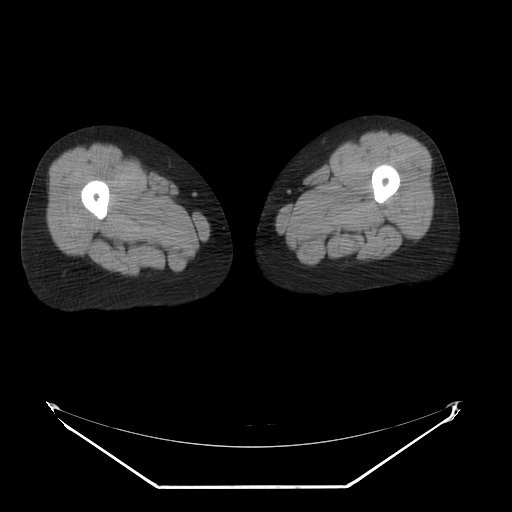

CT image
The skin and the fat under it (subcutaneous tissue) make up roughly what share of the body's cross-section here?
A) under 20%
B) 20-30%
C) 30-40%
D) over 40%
D) over 40%
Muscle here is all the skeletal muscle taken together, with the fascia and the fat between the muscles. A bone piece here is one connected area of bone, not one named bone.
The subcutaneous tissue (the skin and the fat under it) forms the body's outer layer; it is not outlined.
Outlines (x, y in pixels):
muscle 1: (86, 141) (112, 142) (132, 151) (154, 168) (173, 179) (205, 214) (211, 228) (210, 236) (202, 257) (190, 271) (178, 279) (165, 282) (126, 280) (93, 263) (89, 263) (87, 260) (75, 260) (68, 257) (56, 247) (48, 231) (45, 218) (46, 173) (52, 160) (60, 152), around a hole outlined by (92, 180) (101, 180) (105, 182) (107, 184) (109, 189) (109, 193) (110, 194) (109, 195) (109, 201) (108, 202) (107, 213) (102, 219) (99, 219) (97, 218) (91, 212) (90, 212) (84, 206) (81, 200) (81, 195) (80, 194) (81, 193) (81, 189) (89, 181) (91, 181)
muscle 2: (372, 129) (407, 132) (426, 144) (430, 149) (435, 160) (435, 170) (432, 183) (434, 193) (433, 217) (429, 229) (420, 242) (388, 259) (344, 270) (310, 272) (298, 268) (290, 261) (275, 236) (274, 222) (278, 210) (290, 197) (300, 181) (308, 173) (320, 167) (342, 142) with a hole at (381, 164) (388, 164) (389, 165) (391, 165) (396, 169) (396, 170) (399, 174) (400, 184) (397, 190) (391, 196) (390, 196) (387, 199) (386, 199) (382, 203) (379, 203) (374, 199) (374, 196) (373, 195) (373, 189) (371, 185) (371, 175) (372, 174) (373, 170) (377, 166)
bones 1: (381, 164) (388, 164) (389, 165) (391, 165) (396, 169) (396, 170) (399, 174) (400, 184) (397, 190) (391, 196) (390, 196) (387, 199) (386, 199) (382, 203) (379, 203) (374, 199) (374, 196) (373, 195) (373, 189) (371, 185) (371, 175) (372, 174) (373, 170) (377, 166)
bones 2: (92, 180) (101, 180) (105, 182) (107, 184) (109, 189) (109, 193) (110, 194) (109, 195) (109, 201) (108, 202) (107, 213) (102, 219) (99, 219) (97, 218) (91, 212) (90, 212) (84, 206) (81, 200) (81, 195) (80, 194) (81, 193) (81, 189) (89, 181) (91, 181)
right leg: (92, 124) (125, 125) (159, 139) (186, 159) (208, 183) (223, 209) (233, 242) (233, 261) (230, 271) (215, 292) (202, 299) (166, 309) (148, 307) (118, 312) (86, 310) (72, 313) (51, 309) (31, 293) (20, 259) (20, 230) (34, 171) (45, 150) (55, 140) (72, 130)
left leg: (365, 114) (392, 115) (412, 122) (423, 129) (439, 148) (454, 190) (459, 214) (460, 247) (455, 265) (443, 277) (429, 283) (403, 289) (372, 289) (314, 297) (290, 293) (271, 285) (256, 266) (253, 254) (253, 242) (256, 225) (273, 182) (290, 158) (311, 139) (339, 122)